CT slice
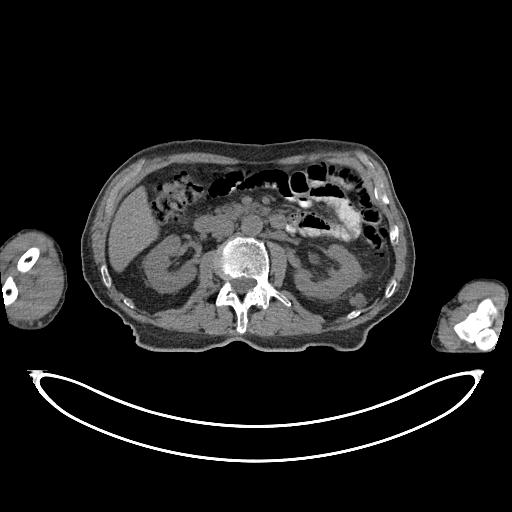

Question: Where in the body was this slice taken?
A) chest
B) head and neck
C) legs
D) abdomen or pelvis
Answer: D) abdomen or pelvis
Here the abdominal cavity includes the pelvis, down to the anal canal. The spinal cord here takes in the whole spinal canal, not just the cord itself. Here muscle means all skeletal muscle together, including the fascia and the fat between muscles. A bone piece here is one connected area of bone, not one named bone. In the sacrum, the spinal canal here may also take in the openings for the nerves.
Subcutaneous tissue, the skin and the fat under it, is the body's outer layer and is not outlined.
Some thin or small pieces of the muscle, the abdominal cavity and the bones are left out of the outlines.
Outlined structures:
left arm: 477,277 491,277 499,279 508,288 507,304 504,311 503,319 501,322 501,326 498,338 494,347 491,352 489,353 442,353 441,352 437,352 431,345 430,340 441,307 454,296 460,287 464,283 473,278
abdominal cavity: 314,160 357,170 373,188 387,219 393,272 383,294 369,305 332,319 310,311 282,288 285,249 244,235 229,237 202,254 198,284 179,307 149,313 112,282 105,253 108,228 122,197 148,174 174,163 290,165
torso: 191,138 256,144 335,138 361,142 383,159 409,220 415,265 406,299 369,330 361,347 339,351 309,346 282,352 261,351 232,341 199,352 152,351 138,346 131,328 94,296 82,274 80,240 103,184 138,150
right arm: 28,227 35,227 43,229 51,234 57,241 63,253 63,260 67,270 68,286 65,294 64,302 59,312 53,320 43,328 26,331 12,326 8,320 6,306 4,304 2,284 0,282 0,245 12,234 23,228
bones 1: 235,236 253,237 263,241 269,258 268,280 291,302 290,306 286,306 277,298 271,297 265,309 251,305 247,310 246,330 242,334 236,330 237,316 234,309 230,305 215,304 223,283 217,273 217,249 227,239; inner edge: 240,277 245,277 246,278 251,278 252,279 254,279 255,280 255,285 252,288 251,288 243,294 238,294 236,292 235,292 233,290 233,287 231,284 231,280 232,279 234,279 235,278 239,278
bones 2: 488,297 490,298 497,306 497,317 493,322 493,328 498,338 494,347 492,349 483,351 480,350 474,343 470,343 464,340 462,340 457,335 453,327 456,323 463,320 470,312 474,311 476,309 478,303 481,300
bones 3: 360,153 366,154 368,159 372,162 374,166 374,169 383,183 383,190 389,200 389,203 388,204 383,204 379,200 376,199 374,195 374,187 375,185 373,180 373,176 368,167 365,165 360,159 358,155 358,154
bones 4: 33,246 37,246 39,248 39,249 40,250 40,253 39,254 39,256 37,258 36,261 33,264 33,265 26,272 20,272 19,271 18,271 16,268 16,265 17,264 17,262 18,261 19,258 30,247 32,247
bones 5: 9,275 12,275 14,278 14,280 15,281 15,283 16,284 16,286 17,287 17,296 13,302 12,302 8,306 6,306 4,304 4,298 3,297 3,293 2,292 2,285 3,284 3,283 5,281 6,278
bones 6: 141,160 144,160 144,162 141,165 139,171 138,171 136,174 131,176 118,189 117,193 113,199 111,214 109,215 106,213 105,208 106,207 107,200 110,195 111,191 126,175 129,174 136,167 137,164
bones 7: 102,264 105,264 107,266 107,269 108,270 109,275 111,278 111,285 110,286 110,287 109,287 108,288 107,287 106,287 104,285 104,284 102,281 102,279 101,278 101,271 100,270 100,269 101,268 101,265
bones 8: 394,224 395,224 396,225 397,225 397,226 398,227 398,238 397,239 398,240 398,242 396,244 395,244 394,245 392,245 392,244 390,241 390,236 389,235 389,232 390,231 390,227 391,226 392,226
bones 9: 391,279 395,279 395,280 396,281 396,286 395,287 395,289 394,290 394,292 393,293 393,294 390,297 389,297 388,298 385,298 384,297 384,292 385,291 385,289 386,288 387,285 389,283 389,282 391,280
muscle 1: 211,250 216,250 216,273 222,280 214,304 233,309 237,335 169,331 142,323 128,315 106,293 106,288 110,288 112,283 132,300 124,298 122,301 126,306 134,309 135,305 149,314 179,308 197,288 200,259
muscle 2: 28,231 40,232 47,236 52,241 63,273 63,287 61,295 56,305 44,316 31,323 27,321 16,322 8,320 6,307 13,303 17,298 18,287 15,278 12,274 9,274 2,284 0,282 0,251 19,234, around a hole outlined by 33,246 37,246 39,248 39,249 40,250 40,253 39,254 39,256 37,258 36,261 33,264 33,265 26,272 20,272 19,271 18,271 16,268 16,265 17,264 17,262 18,261 19,258 30,247 32,247
muscle 3: 267,242 281,246 287,256 281,288 290,292 304,308 326,320 345,315 347,320 355,318 362,312 361,309 383,295 390,301 371,319 348,329 275,337 244,334 251,306 265,310 271,298 286,307 292,305 269,280
muscle 4: 349,149 364,152 357,155 369,170 373,187 354,167 327,159 290,164 174,162 148,173 121,197 113,210 105,236 105,263 99,269 101,281 93,256 91,227 111,182 136,160 180,152 205,152 264,161 318,151, around a hole outlined by 141,160 144,160 144,162 141,165 139,171 138,171 136,174 131,176 118,189 117,193 113,199 111,214 109,215 106,213 105,208 106,207 107,200 110,195 111,191 126,175 129,174 136,167 137,164
muscle 5: 476,281 494,282 504,290 503,318 499,334 497,335 494,328 494,322 498,317 498,306 490,297 484,297 477,303 474,310 452,327 462,341 474,344 478,349 449,350 444,348 438,340 441,320 452,299 467,285
muscle 6: 367,154 375,159 383,169 395,205 404,224 407,246 406,269 395,293 397,281 395,278 391,278 395,267 393,246 399,242 399,227 395,223 390,226 380,206 378,201 383,205 388,205 390,200 384,190 384,183
spinal cord: 240,277 245,277 246,278 251,278 252,279 254,279 255,280 255,285 252,288 251,288 243,294 238,294 236,292 235,292 233,290 233,287 231,284 231,280 232,279 234,279 235,278 239,278